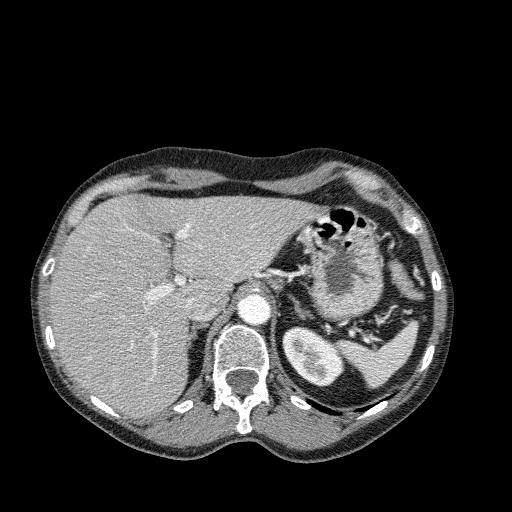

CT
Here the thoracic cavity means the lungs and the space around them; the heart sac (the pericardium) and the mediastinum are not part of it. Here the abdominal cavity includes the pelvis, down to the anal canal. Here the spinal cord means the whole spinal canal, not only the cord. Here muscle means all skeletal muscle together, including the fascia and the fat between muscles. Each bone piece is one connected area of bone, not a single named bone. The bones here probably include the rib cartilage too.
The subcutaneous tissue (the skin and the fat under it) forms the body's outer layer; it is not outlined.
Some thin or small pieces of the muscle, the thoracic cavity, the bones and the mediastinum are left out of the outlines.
The bones appear in 10 outlined pieces: piece 1: [[233,324],[243,324],[262,335],[269,354],[270,367],[266,382],[270,403],[267,405],[262,401],[250,410],[249,422],[252,429],[244,434],[235,429],[239,415],[233,408],[223,403],[219,409],[214,409],[213,384],[205,379],[213,371],[214,341],[225,326]], around a hole outlined by [[236,370],[249,370],[250,371],[253,371],[256,373],[257,375],[257,381],[250,389],[250,392],[249,393],[247,393],[246,394],[238,394],[237,393],[235,393],[233,391],[232,387],[229,384],[228,384],[226,380],[226,376],[227,374],[232,371],[235,371]]; piece 2: [[143,174],[146,174],[148,176],[147,178],[144,181],[135,185],[131,189],[127,189],[125,191],[119,191],[118,192],[104,192],[98,195],[90,202],[87,209],[81,217],[72,226],[68,225],[67,219],[74,206],[82,196],[96,184],[106,179],[116,179]]; piece 3: [[327,163],[344,164],[348,168],[353,168],[355,170],[362,171],[366,174],[373,174],[381,180],[382,186],[377,190],[367,191],[350,183],[343,175],[336,173],[337,172],[336,171],[333,170],[330,171],[320,167],[322,164]]; piece 4: [[404,208],[407,208],[409,209],[410,211],[417,218],[419,219],[421,223],[422,228],[423,229],[423,231],[420,234],[418,234],[417,235],[414,235],[408,232],[404,228],[404,226],[402,223],[402,220],[401,219],[401,212]]; piece 5: [[431,342],[433,343],[435,346],[435,348],[434,349],[434,352],[433,353],[433,356],[432,357],[432,359],[429,365],[427,367],[427,368],[426,368],[424,370],[420,372],[418,370],[421,366],[421,360],[422,359],[422,357],[425,352],[425,350],[428,344]]; piece 6: [[91,394],[95,396],[97,398],[101,400],[104,403],[105,403],[108,406],[112,408],[116,412],[117,412],[121,416],[121,417],[119,418],[117,418],[107,413],[105,411],[100,409],[98,407],[97,407],[93,403],[92,403],[92,402],[89,398],[89,395]]; piece 7: [[384,399],[388,399],[388,403],[387,404],[387,405],[383,409],[382,409],[380,411],[379,411],[372,415],[367,416],[366,417],[365,417],[364,418],[362,418],[361,419],[357,419],[357,417],[364,411],[367,410],[373,405],[376,404],[378,402],[379,402]]; piece 8: [[292,394],[293,395],[297,395],[301,398],[304,399],[308,403],[309,403],[312,406],[312,407],[310,409],[302,409],[301,408],[299,408],[298,407],[297,407],[295,405],[294,405],[290,401],[290,398],[289,397],[290,396],[290,395],[291,395]]; piece 9: [[187,399],[192,399],[193,400],[193,406],[191,408],[190,408],[188,410],[187,410],[182,413],[180,413],[179,412],[175,412],[172,410],[172,409],[171,408],[172,407],[172,406],[173,406],[175,404],[176,404],[177,403],[178,404],[180,404]]; piece 10: [[51,256],[53,256],[56,258],[56,260],[55,261],[55,265],[54,266],[54,267],[53,268],[53,269],[52,270],[51,273],[48,276],[45,277],[42,274],[42,268],[43,267],[43,265],[44,264],[44,263],[46,261],[46,260],[49,257],[50,257]]. The torso is outlined by [[161,146],[248,156],[324,146],[389,170],[429,219],[454,292],[448,354],[426,399],[363,448],[312,463],[283,459],[253,441],[231,443],[197,459],[162,457],[123,444],[68,405],[51,385],[36,349],[29,294],[34,264],[59,210],[78,185],[116,159]]. The spinal cord is outlined by [[236,370],[249,370],[250,371],[253,371],[256,373],[257,375],[257,381],[250,389],[250,392],[249,393],[247,393],[246,394],[238,394],[237,393],[235,393],[233,391],[232,387],[229,384],[228,384],[226,380],[226,376],[227,374],[232,371],[235,371]]. The thoracic cavity is outlined by [[307,399],[308,400],[311,400],[322,406],[324,406],[332,410],[334,410],[335,411],[337,411],[338,412],[340,412],[342,413],[341,414],[330,414],[329,413],[327,413],[324,411],[322,411],[314,407],[309,402],[308,402],[306,400]]. The mediastinum is outlined by [[248,294],[259,294],[263,296],[264,299],[267,302],[269,306],[270,309],[270,335],[269,336],[269,346],[268,348],[268,345],[265,337],[253,327],[251,327],[243,323],[233,323],[230,325],[227,324],[223,327],[224,323],[232,313],[237,303],[242,297]]. The muscle is outlined by [[321,160],[347,162],[380,175],[414,208],[428,230],[446,285],[446,323],[435,365],[407,401],[327,447],[295,450],[251,432],[251,410],[262,402],[271,403],[270,355],[298,394],[288,397],[294,406],[330,415],[361,413],[357,420],[383,410],[420,362],[421,373],[434,356],[436,346],[430,342],[434,292],[442,289],[442,280],[436,269],[429,272],[426,267],[416,236],[424,231],[420,219],[407,207],[398,216],[375,192],[383,186],[375,174],[335,162],[319,167],[347,181],[332,180],[303,193],[230,181],[194,189],[132,189],[148,178],[146,173],[106,178],[92,186],[67,216],[71,227],[57,257],[49,256],[41,268],[41,274],[49,276],[47,348],[56,350],[92,404],[117,419],[121,414],[136,420],[169,408],[180,414],[191,409],[194,400],[187,398],[200,385],[211,354],[212,371],[204,379],[212,384],[212,407],[217,411],[223,404],[233,409],[238,433],[200,446],[163,446],[98,414],[70,392],[43,345],[37,285],[59,224],[83,191],[108,176],[158,163],[210,169],[242,180],[274,180],[301,174]]. The abdominal cavity is outlined by [[336,180],[382,197],[417,238],[429,273],[429,342],[391,395],[346,413],[299,395],[268,350],[271,309],[259,293],[234,306],[195,390],[155,415],[123,415],[72,377],[56,349],[48,287],[68,232],[94,200],[127,190],[194,190],[224,182],[303,194]].